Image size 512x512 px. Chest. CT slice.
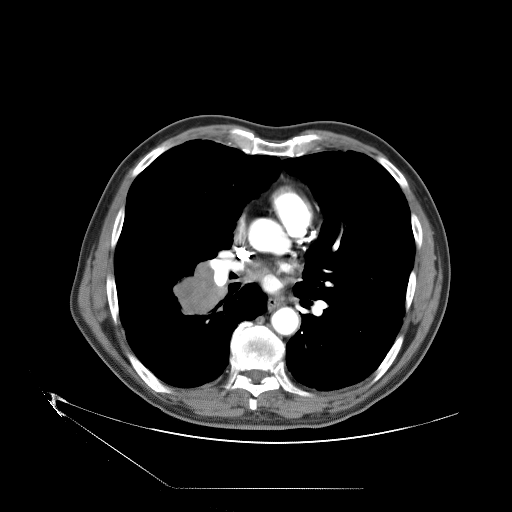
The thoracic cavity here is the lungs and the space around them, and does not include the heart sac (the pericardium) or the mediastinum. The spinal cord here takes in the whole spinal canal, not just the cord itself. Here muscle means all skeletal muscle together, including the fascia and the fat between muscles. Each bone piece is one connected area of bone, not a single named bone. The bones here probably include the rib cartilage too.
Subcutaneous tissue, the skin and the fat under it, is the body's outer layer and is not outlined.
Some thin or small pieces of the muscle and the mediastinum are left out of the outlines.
Outlined structures:
mediastinum 1: 230 248; 240 262; 256 275; 259 285; 268 295; 283 292; 286 288; 294 284; 292 291; 298 300; 301 312; 301 325; 300 329; 286 343; 266 325; 252 321; 266 311; 267 296; 254 282; 241 285; 239 275; 235 269; 233 259; 230 254
mediastinum 2: 282 168; 283 168; 283 169; 289 175; 291 176; 293 176; 299 179; 305 184; 304 184; 302 182; 300 182; 299 181; 294 180; 290 177; 288 177; 283 174; 281 175; 278 178; 278 177; 281 173; 281 170
spinal cord: 250 370; 262 370; 263 371; 264 371; 265 372; 266 372; 267 373; 267 374; 263 378; 262 378; 260 380; 260 381; 258 383; 254 383; 253 382; 252 382; 252 380; 247 375; 247 372; 248 371; 249 371
thoracic cavity: 204 138; 281 161; 357 151; 402 190; 415 245; 405 311; 363 380; 318 390; 286 371; 302 325; 293 288; 323 215; 283 167; 232 233; 240 285; 256 284; 266 309; 233 330; 228 370; 178 387; 133 352; 114 274; 127 195; 161 154
torso: 200 114; 229 115; 273 126; 316 120; 350 123; 389 143; 427 187; 449 247; 451 278; 446 309; 428 350; 413 372; 363 412; 317 429; 235 430; 184 422; 151 406; 128 388; 74 323; 69 295; 81 243; 112 173; 150 135; 174 121
muscle 1: 403 173; 437 238; 442 268; 438 307; 423 341; 397 374; 350 408; 308 419; 285 418; 274 412; 255 410; 258 406; 256 398; 267 391; 281 388; 291 394; 311 397; 312 392; 297 384; 318 391; 333 391; 357 384; 370 375; 372 377; 368 384; 371 385; 392 365; 405 338; 398 333; 414 297; 417 283; 413 269; 415 252; 416 248; 422 246; 423 240; 421 222; 411 212; 403 191; 409 188
muscle 2: 142 156; 130 172; 134 179; 125 204; 118 209; 114 218; 110 235; 110 247; 114 250; 113 272; 109 272; 105 278; 112 321; 115 325; 121 322; 132 351; 126 350; 125 355; 140 378; 158 393; 171 394; 173 389; 170 386; 198 387; 216 380; 228 371; 221 396; 235 389; 243 389; 251 395; 248 400; 251 410; 242 416; 198 415; 157 398; 104 349; 78 309; 78 290; 87 259; 121 182
muscle 3: 308 129; 327 130; 353 137; 378 149; 382 152; 387 158; 383 155; 378 154; 374 157; 374 159; 365 153; 357 150; 337 148; 331 146; 327 146; 323 149; 312 151; 317 147; 323 139; 323 136; 321 134; 315 132; 299 134; 302 131
muscle 4: 211 124; 236 124; 246 127; 254 131; 257 135; 250 130; 234 126; 231 127; 227 131; 227 138; 228 139; 227 141; 223 139; 204 137; 203 138; 192 138; 175 145; 175 143; 172 141; 164 141; 159 144; 166 139; 189 128
bones 1: 243 321; 251 321; 266 326; 285 344; 285 371; 298 386; 312 393; 311 396; 291 393; 281 387; 267 390; 255 398; 257 406; 254 410; 249 407; 249 400; 252 395; 243 388; 231 389; 222 396; 223 385; 230 368; 231 337; 234 330 with a hole at 250 370; 262 370; 263 371; 264 371; 265 372; 266 372; 267 373; 267 374; 263 378; 262 378; 260 380; 260 381; 258 383; 254 383; 253 382; 252 382; 252 380; 247 375; 247 372; 248 371; 249 371
bones 2: 234 127; 250 131; 256 136; 274 143; 283 142; 296 135; 304 135; 310 133; 319 134; 322 136; 322 139; 316 147; 311 151; 299 156; 250 154; 244 152; 239 147; 233 145; 231 142; 228 141; 229 140; 228 131
bones 3: 126 351; 130 351; 132 352; 134 354; 134 355; 141 362; 141 363; 147 369; 148 369; 159 380; 160 380; 164 384; 169 386; 172 389; 172 392; 171 393; 158 392; 152 389; 141 378; 141 377; 134 369; 126 355
bones 4: 400 334; 402 334; 404 337; 403 339; 403 342; 401 345; 401 347; 397 355; 395 357; 391 365; 376 381; 375 381; 371 384; 369 384; 373 377; 373 375; 372 374; 381 363; 381 362; 389 351; 390 348; 395 341; 396 337
bones 5: 109 273; 113 273; 114 275; 116 294; 117 295; 117 303; 118 304; 118 313; 119 314; 118 315; 119 317; 119 322; 118 324; 115 324; 113 321; 113 319; 111 315; 111 312; 109 308; 109 304; 108 303; 107 290; 106 289; 106 278
bones 6: 164 142; 172 142; 174 143; 174 145; 170 148; 167 149; 165 151; 161 153; 157 157; 156 157; 134 178; 132 177; 131 176; 131 172; 132 170; 134 168; 134 167; 142 159; 142 158; 152 149; 157 147; 159 145; 162 144
bones 7: 378 155; 380 156; 383 156; 387 159; 388 159; 402 173; 402 174; 404 176; 404 177; 406 179; 408 183; 408 188; 407 189; 403 190; 401 188; 401 187; 399 185; 397 181; 393 177; 393 176; 379 162; 378 162; 375 159; 375 157
bones 8: 123 205; 124 205; 125 207; 124 208; 124 217; 123 218; 123 223; 122 224; 121 231; 120 232; 119 237; 117 240; 115 248; 114 249; 112 249; 111 247; 111 235; 112 234; 113 225; 115 221; 115 218; 116 217; 116 215; 119 209
bones 9: 412 270; 414 270; 415 272; 416 283; 415 284; 415 289; 414 290; 413 297; 411 301; 411 304; 409 307; 409 309; 407 311; 406 311; 405 310; 405 298; 406 297; 406 290; 407 289; 407 285; 408 284; 408 281; 409 280; 409 276
bones 10: 412 212; 417 216; 420 222; 420 224; 421 225; 421 229; 422 230; 422 240; 421 241; 421 246; 419 248; 417 248; 416 247; 416 245; 415 244; 415 240; 414 239; 414 236; 413 235; 413 232; 412 231; 412 226; 411 225; 411 213
pericardium: 283 175; 294 181; 302 183; 309 189; 311 196; 319 206; 321 212; 321 224; 317 236; 304 254; 304 265; 300 279; 286 287; 283 291; 268 294; 260 285; 257 275; 243 264; 234 252; 232 248; 233 233; 237 221; 246 205; 256 199